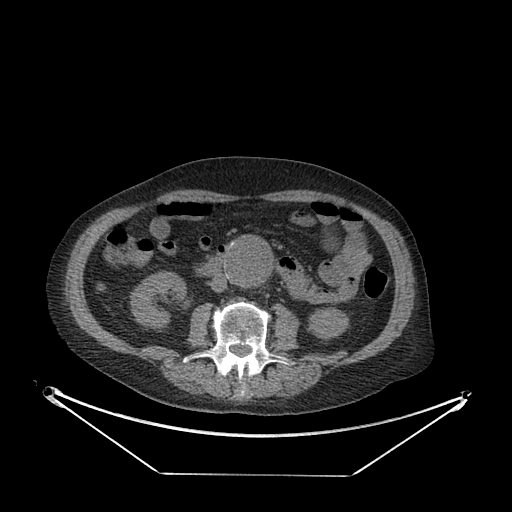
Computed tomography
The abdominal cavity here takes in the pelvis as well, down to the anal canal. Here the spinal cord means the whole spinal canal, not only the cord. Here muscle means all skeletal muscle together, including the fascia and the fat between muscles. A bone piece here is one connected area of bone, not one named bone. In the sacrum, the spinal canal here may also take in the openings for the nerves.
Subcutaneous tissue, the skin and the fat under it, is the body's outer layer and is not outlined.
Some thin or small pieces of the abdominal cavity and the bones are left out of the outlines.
The abdominal cavity is outlined by 248,199 329,200 369,222 394,277 389,317 374,339 351,353 297,355 296,314 277,302 272,315 243,299 215,308 208,301 197,305 184,354 157,344 134,346 100,324 86,299 84,270 104,232 150,206. The spinal cord is outlined by 232,345 247,345 250,347 250,348 251,349 251,350 249,353 248,353 247,354 246,354 243,356 239,356 238,355 237,355 236,354 235,354 233,352 232,352 230,350 230,347. The torso is outlined by 234,155 287,158 318,164 367,185 399,210 415,236 427,276 435,353 424,370 393,382 358,402 319,412 281,416 210,413 150,399 89,365 67,347 48,316 44,287 51,256 74,219 105,198 168,168 200,158. The muscle appears in 2 outlined pieces: piece 1: 178,189 203,189 204,190 209,190 218,193 224,193 231,195 257,195 274,191 281,191 282,190 289,190 290,189 315,190 341,196 371,210 380,217 389,221 399,231 400,234 403,237 404,242 409,252 410,259 412,263 413,275 415,278 414,306 407,324 402,330 401,334 388,347 382,351 380,351 377,354 357,362 341,365 333,369 329,373 322,376 319,381 313,386 291,398 287,398 286,399 283,398 279,399 262,399 261,398 260,399 256,399 255,401 217,400 215,398 207,398 203,395 195,395 188,393 184,390 179,389 176,386 170,383 162,375 160,371 156,369 149,362 137,356 126,353 121,353 101,345 93,337 86,333 78,326 75,322 70,310 68,308 69,306 68,303 65,300 65,295 63,288 64,287 66,267 68,259 70,256 70,252 80,234 83,232 93,220 105,212 114,208 119,208 127,206 138,201 153,199 165,192; inner edge: 248,199 329,200 369,222 394,277 374,339 351,353 297,355 300,320 277,302 265,345 294,363 250,376 245,368 240,383 235,367 222,375 209,357 183,362 187,353 137,347 100,324 84,270 104,232 150,206; piece 2: 207,302 211,303 215,306 211,315 211,324 210,325 214,332 215,341 214,344 208,348 190,353 191,351 188,344 186,342 186,340 188,337 190,329 189,326 190,325 191,314 193,310 197,306. The bones are outlined by 241,300 252,302 271,315 267,323 266,348 294,363 270,362 261,372 250,376 245,368 243,383 240,383 235,367 226,375 222,375 209,357 183,362 184,356 208,349 215,344 215,332 211,326 214,310; inner edge: 232,345 247,345 250,347 250,348 251,349 251,350 249,353 248,353 247,354 246,354 243,356 239,356 238,355 237,355 236,354 235,354 233,352 232,352 230,350 230,347.